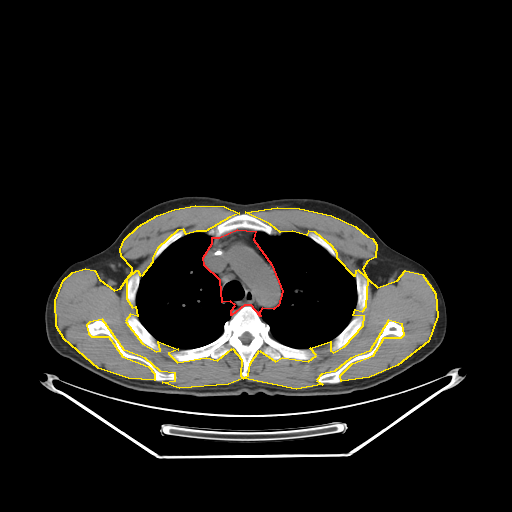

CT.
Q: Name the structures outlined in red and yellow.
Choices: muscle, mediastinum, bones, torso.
A: red: mediastinum; yellow: muscle.
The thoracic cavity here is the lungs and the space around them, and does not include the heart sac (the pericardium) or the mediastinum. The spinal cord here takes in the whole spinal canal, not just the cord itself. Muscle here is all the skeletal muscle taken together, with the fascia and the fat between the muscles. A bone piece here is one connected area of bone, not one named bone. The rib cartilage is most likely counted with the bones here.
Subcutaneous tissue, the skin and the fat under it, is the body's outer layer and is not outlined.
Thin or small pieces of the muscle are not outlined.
Outlines (x, y in pixels):
mediastinum: 237,229 255,231 253,239 271,264 282,291 278,305 273,309 262,308 259,312 260,316 251,305 244,305 231,315 231,310 235,305 230,301 222,302 220,280 204,265 203,257 212,243 212,237 219,237
muscle 1: 85,268 94,270 99,279 114,290 120,288 126,279 126,298 132,307 135,306 137,316 130,314 125,321 142,343 156,351 160,350 158,341 178,349 168,353 177,362 206,357 217,360 232,348 241,359 240,375 243,378 248,375 250,363 259,350 275,361 282,357 308,361 316,355 310,348 312,347 330,341 330,350 333,352 344,346 363,325 364,316 353,315 355,309 362,311 366,306 368,279 377,287 397,280 405,270 422,274 435,293 437,316 428,341 397,365 369,377 341,381 340,375 352,363 373,355 384,337 401,337 404,334 402,324 388,320 369,351 350,358 334,371 321,374 316,380 322,384 296,389 243,378 228,384 179,388 162,382 175,380 175,373 160,371 145,358 124,350 102,319 89,322 86,325 88,333 91,336 108,336 122,356 148,366 154,373 154,380 128,378 98,368 64,339 56,326 55,300 63,280 72,272
muscle 2: 277,207 299,208 331,215 355,226 367,236 372,238 376,244 375,257 367,261 362,269 367,278 358,270 355,271 354,276 337,258 337,253 332,246 315,232 308,231 306,235 292,231 280,232 270,224 245,212
muscle 3: 195,205 224,206 239,213 229,217 205,231 196,231 186,234 183,229 177,230 157,248 152,257 152,262 141,276 138,271 135,271 127,278 132,271 132,268 121,256 120,249 124,239 138,226 157,215 174,209
spinal cord: 245,332 248,332 252,336 252,339 250,341 250,342 249,343 247,343 246,344 245,343 243,343 242,342 242,341 239,338 239,337 242,334 243,334
torso: 192,195 237,203 315,198 353,212 386,244 426,267 434,277 446,306 443,341 424,360 385,382 347,394 320,396 243,392 198,397 144,392 113,383 61,356 48,342 44,322 47,296 60,274 109,246 144,210
thoracic cavity 1: 256,232 263,232 270,236 283,232 306,236 337,259 354,277 356,304 352,317 331,340 309,348 297,348 280,342 270,334 270,326 261,318 260,312 262,309 275,309 282,299 283,291 272,264 265,257 254,239
thoracic cavity 2: 196,232 205,232 211,237 211,243 202,257 203,265 219,280 221,302 230,302 234,307 230,310 231,316 224,322 218,337 201,346 179,349 158,340 144,326 138,317 136,296 141,277 151,264 171,244 185,235
bones 1: 244,306 251,306 257,312 275,340 292,348 311,349 315,352 312,358 298,360 282,356 275,360 259,349 243,377 242,359 232,347 217,359 206,356 177,361 170,357 172,351 197,348 214,341 222,334 225,322 with a hole at 245,332 248,332 252,336 252,339 250,341 250,342 249,343 247,343 246,344 245,343 243,343 242,342 242,341 239,338 239,337 242,334 243,334
bones 2: 240,213 247,213 257,218 264,223 270,225 276,231 279,232 279,233 273,235 270,235 263,231 256,231 253,229 250,229 249,228 237,228 225,232 219,236 211,236 207,234 206,231 209,229
bones 3: 388,321 394,321 403,326 404,329 401,336 394,334 388,334 384,336 380,342 379,347 373,354 352,362 340,373 340,382 318,382 317,380 321,375 334,372 350,359 369,352 375,346 378,337 383,331 386,322
bones 4: 96,320 102,320 106,323 110,332 118,340 124,351 145,359 160,372 175,374 176,378 156,381 154,379 155,373 148,365 140,360 128,358 122,355 119,352 114,341 108,335 104,333 91,335 88,331 87,325
bones 5: 357,315 362,315 363,316 363,322 359,330 350,340 349,340 340,348 336,350 334,350 333,351 331,350 331,347 332,346 332,343 331,341 346,327 346,326 349,323 349,322 352,319 352,318
bones 6: 130,315 134,315 136,316 138,318 140,322 143,325 143,326 156,339 158,343 158,345 159,346 159,350 156,350 155,349 153,349 151,347 148,346 146,344 142,342 133,333 133,332 129,327 126,321 126,318
bones 7: 356,271 358,271 360,272 367,279 367,283 368,284 368,291 367,292 367,299 366,300 366,303 365,304 365,306 362,310 360,310 356,308 356,305 357,304 357,288 356,287 356,281 355,280 355,273
bones 8: 135,272 138,272 139,273 140,275 140,280 139,281 139,285 138,286 138,288 136,292 136,295 135,296 135,305 134,306 132,306 129,303 129,301 127,298 127,293 126,292 126,283 127,282 127,279 129,276
bones 9: 179,230 183,230 185,232 185,234 183,236 180,237 178,239 177,239 175,241 174,241 172,243 171,243 153,261 153,257 154,256 156,251 158,249 158,248 168,238 169,238 173,234 174,234 177,231 178,231
bones 10: 308,232 313,232 317,235 318,235 320,237 321,237 324,240 325,240 334,250 334,251 336,253 336,255 337,257 336,258 332,256 327,251 326,249 325,249 318,243 314,241 311,238 307,236 307,233